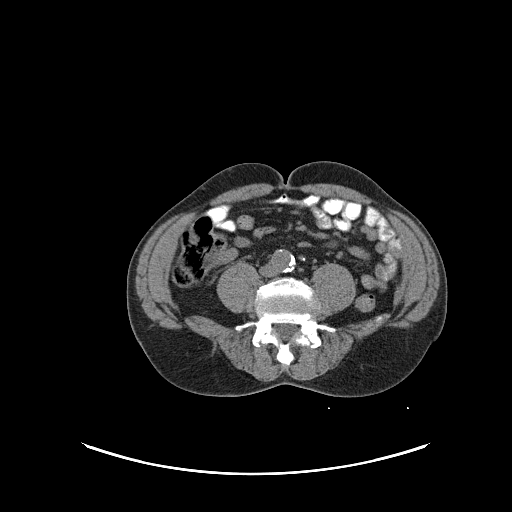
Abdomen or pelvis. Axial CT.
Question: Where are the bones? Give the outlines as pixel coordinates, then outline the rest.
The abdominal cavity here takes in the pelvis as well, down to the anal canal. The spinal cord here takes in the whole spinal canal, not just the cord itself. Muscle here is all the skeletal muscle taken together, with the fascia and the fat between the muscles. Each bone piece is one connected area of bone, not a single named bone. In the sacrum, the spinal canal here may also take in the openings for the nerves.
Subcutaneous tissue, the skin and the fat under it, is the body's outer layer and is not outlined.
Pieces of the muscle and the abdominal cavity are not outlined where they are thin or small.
Answer: Outlines (x, y in pixels):
bones 1: (282, 277) (292, 277) (310, 286) (318, 301) (312, 312) (314, 318) (335, 328) (334, 332) (319, 330) (321, 344) (315, 348) (294, 345) (294, 359) (289, 365) (277, 360) (278, 349) (272, 343) (253, 345) (254, 326) (235, 329) (238, 324) (258, 318) (254, 301) (257, 289) with a hole at (274, 324) (291, 324) (292, 325) (297, 325) (298, 326) (298, 332) (293, 337) (292, 337) (288, 341) (283, 341) (282, 340) (281, 340) (280, 339) (279, 339) (277, 337) (277, 336) (273, 332) (273, 325)
bones 2: (384, 313) (389, 313) (390, 314) (390, 316) (388, 318) (384, 318) (382, 320) (382, 321) (381, 322) (381, 323) (380, 324) (377, 324) (375, 322) (375, 321) (374, 320) (375, 319) (375, 318) (376, 317) (376, 316) (377, 316) (378, 315) (379, 315) (380, 314) (383, 314)
abdominal cavity: (281, 191) (366, 204) (394, 227) (400, 283) (382, 313) (336, 325) (327, 319) (356, 295) (353, 275) (336, 262) (315, 268) (312, 287) (292, 276) (258, 287) (250, 263) (229, 265) (215, 291) (230, 311) (246, 314) (239, 323) (179, 309) (168, 278) (190, 223) (210, 209)
muscle 1: (252, 183) (281, 187) (337, 184) (402, 212) (424, 234) (437, 260) (439, 290) (429, 313) (415, 326) (384, 328) (369, 335) (334, 370) (307, 380) (295, 379) (284, 372) (270, 381) (248, 378) (201, 336) (154, 324) (143, 311) (135, 289) (138, 258) (148, 239) (172, 216); inner edge: (281, 191) (369, 205) (394, 227) (401, 249) (400, 283) (383, 312) (390, 316) (380, 324) (375, 315) (319, 330) (321, 344) (294, 345) (289, 365) (277, 360) (272, 343) (253, 345) (254, 326) (238, 331) (237, 323) (183, 312) (168, 280) (183, 232) (197, 216)
muscle 2: (327, 263) (336, 263) (342, 266) (344, 266) (350, 272) (355, 280) (355, 295) (352, 302) (342, 310) (340, 310) (327, 317) (326, 319) (332, 325) (317, 321) (313, 313) (316, 308) (316, 306) (319, 303) (319, 301) (313, 287) (314, 283) (312, 281) (312, 276) (316, 268)
muscle 3: (237, 262) (246, 262) (250, 264) (254, 268) (259, 277) (259, 284) (255, 291) (253, 300) (254, 311) (257, 318) (255, 320) (248, 320) (241, 323) (242, 318) (247, 314) (245, 312) (236, 313) (230, 310) (220, 300) (216, 291) (216, 286) (222, 273) (229, 266)
spinal cord: (274, 324) (291, 324) (292, 325) (297, 325) (298, 326) (298, 332) (293, 337) (292, 337) (288, 341) (283, 341) (282, 340) (281, 340) (280, 339) (279, 339) (277, 337) (277, 336) (273, 332) (273, 325)
torso: (320, 160) (363, 172) (431, 234) (447, 278) (447, 312) (438, 338) (405, 379) (363, 397) (330, 396) (288, 384) (248, 395) (217, 397) (191, 393) (166, 381) (143, 353) (127, 313) (127, 269) (141, 237) (166, 210) (222, 169) (259, 162) (276, 169) (285, 180) (296, 167)